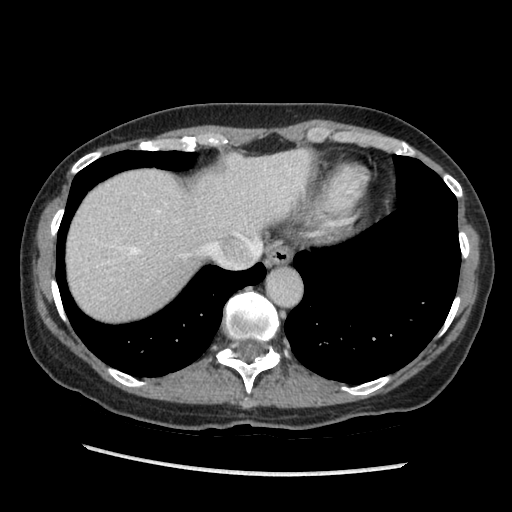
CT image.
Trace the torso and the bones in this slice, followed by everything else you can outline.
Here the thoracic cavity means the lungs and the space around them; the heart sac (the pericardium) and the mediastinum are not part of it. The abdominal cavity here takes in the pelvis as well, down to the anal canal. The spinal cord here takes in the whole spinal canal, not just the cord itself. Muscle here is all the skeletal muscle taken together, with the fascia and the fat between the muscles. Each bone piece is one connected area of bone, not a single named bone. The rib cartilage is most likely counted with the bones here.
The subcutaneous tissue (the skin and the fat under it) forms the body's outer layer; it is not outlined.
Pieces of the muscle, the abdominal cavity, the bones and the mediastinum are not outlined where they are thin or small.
{"torso":[[[207,102],[331,102],[378,109],[421,130],[462,169],[489,222],[495,271],[469,352],[435,398],[407,411],[355,417],[308,429],[249,424],[182,429],[111,412],[53,381],[34,360],[23,327],[19,250],[27,213],[42,184],[69,153],[106,130],[158,110]]],"bones":[{"outer":[[248,290],[263,295],[275,307],[280,321],[280,331],[272,341],[274,349],[280,354],[280,360],[275,366],[261,371],[255,377],[250,394],[246,393],[240,374],[235,369],[219,363],[215,355],[217,351],[229,344],[229,340],[220,329],[224,305],[234,294]],"hole":[[249,338],[251,339],[255,339],[258,341],[262,342],[264,344],[264,347],[265,348],[265,351],[262,354],[256,356],[251,362],[247,362],[241,359],[239,357],[239,353],[236,350],[236,348],[238,345],[238,342],[240,340],[244,340],[245,339],[248,339]]},[[316,126],[328,128],[333,131],[356,131],[366,134],[388,136],[399,140],[403,140],[415,151],[416,155],[415,157],[399,155],[371,146],[361,146],[355,143],[334,141],[330,137],[328,137],[324,141],[321,142],[311,142],[307,140],[306,132],[308,129]],[[207,132],[222,134],[228,140],[228,142],[226,144],[222,144],[217,146],[200,145],[194,151],[183,151],[176,149],[169,150],[138,150],[135,149],[138,143],[142,140],[147,140],[153,138],[165,138],[166,137],[179,138],[185,135],[196,136],[199,134]],[[388,374],[390,374],[391,375],[391,378],[387,383],[383,386],[367,394],[363,394],[362,395],[353,395],[346,391],[344,391],[340,389],[340,387],[343,385],[346,385],[347,386],[358,385],[362,383],[365,383],[369,381],[375,380],[380,377],[385,376]],[[108,366],[110,366],[113,368],[115,368],[124,373],[126,373],[140,380],[142,380],[145,382],[145,384],[141,386],[139,386],[138,387],[133,387],[132,386],[127,386],[121,383],[119,381],[116,380],[111,375],[109,374],[109,373],[107,371],[107,367]],[[96,150],[100,150],[102,152],[102,155],[100,157],[91,162],[88,165],[87,165],[85,167],[81,169],[77,173],[73,174],[70,172],[70,169],[71,167],[73,165],[73,164],[79,158],[80,158],[82,156],[83,156],[85,154],[89,152],[95,151]],[[457,294],[459,295],[460,297],[460,302],[459,303],[459,305],[458,306],[458,308],[457,309],[457,311],[455,314],[454,318],[442,336],[439,338],[434,338],[434,336],[438,332],[442,326],[448,314],[448,312],[451,307],[452,302],[455,296]],[[52,278],[54,278],[56,280],[57,286],[59,290],[59,294],[61,298],[61,302],[62,303],[65,314],[69,322],[68,323],[66,323],[62,320],[58,313],[57,308],[55,305],[53,295],[52,294],[52,291],[51,290],[51,283],[50,282]],[[446,172],[447,173],[449,173],[452,176],[453,176],[459,182],[459,183],[461,186],[461,188],[462,189],[462,196],[461,197],[460,197],[459,198],[457,198],[451,191],[451,190],[448,187],[448,186],[443,180],[443,179],[442,178],[442,175]],[[461,229],[463,230],[466,233],[466,235],[468,238],[468,241],[469,242],[469,252],[466,258],[464,259],[462,259],[461,258],[461,252],[460,251],[460,247],[459,246],[459,239],[458,238],[458,232],[459,230]],[[62,206],[64,206],[64,211],[62,215],[62,218],[61,219],[61,221],[60,222],[60,224],[59,225],[59,227],[58,228],[56,236],[54,237],[52,236],[51,234],[51,228],[50,227],[50,223],[51,222],[51,220],[54,213],[60,207]]],"abdominal_cavity":[[[272,134],[291,142],[313,143],[321,151],[319,180],[303,209],[285,231],[273,236],[260,260],[240,270],[204,265],[171,302],[138,321],[102,323],[76,305],[66,281],[65,242],[78,206],[94,186],[136,168],[189,173],[215,156],[214,147],[240,146]],[[393,196],[393,208],[394,209],[395,208],[396,208],[388,215],[383,217],[377,222],[376,222],[375,221],[375,220],[378,217],[379,217],[380,216],[380,215],[384,211],[384,210],[386,208],[386,207],[388,205],[388,204],[392,199],[392,197]]],"pericardium":[[[326,148],[352,148],[371,153],[388,168],[391,174],[392,191],[391,199],[379,216],[371,223],[356,232],[355,235],[351,238],[332,246],[318,247],[304,243],[288,229],[292,225],[296,217],[304,209],[304,206],[312,198],[317,189],[320,180],[321,153]]],"muscle":[[[71,164],[69,172],[75,175],[65,205],[49,223],[50,234],[56,237],[55,278],[49,282],[53,302],[61,320],[108,365],[108,374],[127,387],[141,387],[146,382],[138,378],[175,372],[209,348],[216,350],[218,345],[212,342],[220,330],[228,344],[216,351],[216,361],[239,374],[247,395],[256,377],[280,362],[281,354],[273,344],[279,334],[287,359],[292,354],[312,372],[350,385],[343,384],[340,390],[362,396],[383,387],[433,338],[443,336],[458,311],[461,259],[470,252],[467,233],[458,229],[462,186],[480,238],[476,299],[460,334],[436,358],[398,386],[365,399],[319,407],[243,409],[129,393],[105,380],[62,343],[36,309],[32,246],[41,213]],[[312,119],[325,119],[357,125],[387,135],[356,130],[333,130],[328,127],[316,125],[306,130],[305,138],[307,141],[305,142],[291,141],[272,133],[244,144],[232,145],[228,144],[228,138],[222,133],[207,131],[196,135],[185,134],[179,137],[166,136],[142,139],[137,143],[134,149],[123,149],[105,155],[103,155],[100,149],[96,149],[105,145],[141,137],[151,137],[178,128],[204,124],[243,128],[271,128],[288,126]],[[411,146],[414,147],[416,149],[419,150],[421,152],[431,158],[434,161],[442,166],[448,172],[449,172],[447,172],[446,171],[444,172],[441,175],[441,176],[439,175],[433,169],[426,165],[422,161],[421,161],[416,157],[417,155],[416,151]]],"mediastinum":[[[287,230],[304,244],[317,247],[302,250],[296,253],[293,258],[292,264],[303,282],[303,296],[299,303],[287,314],[282,325],[282,336],[278,311],[263,294],[253,289],[236,292],[248,286],[254,286],[264,279],[266,268],[259,261],[270,247],[274,236]],[[322,142],[355,144],[361,147],[371,147],[383,150],[392,154],[392,161],[395,174],[394,204],[395,205],[396,203],[397,206],[394,208],[394,196],[392,196],[392,174],[389,168],[374,154],[369,151],[352,147],[326,147],[321,150],[317,148],[314,143]],[[205,146],[213,147],[215,149],[216,152],[214,156],[213,156],[210,159],[204,162],[202,162],[193,170],[189,172],[182,171],[184,170],[187,170],[191,168],[194,165],[196,161],[196,159],[198,156],[198,153],[196,150],[199,148],[201,148]]],"thoracic_cavity":[[[393,154],[422,162],[441,177],[456,198],[460,252],[457,285],[441,326],[413,359],[391,373],[351,385],[312,371],[291,351],[290,343],[284,336],[283,325],[288,314],[304,296],[304,282],[293,261],[296,254],[302,251],[332,247],[351,239],[398,207]],[[123,150],[197,156],[183,170],[120,171],[82,198],[63,261],[69,293],[86,316],[107,325],[138,322],[171,303],[204,266],[265,268],[261,281],[227,299],[209,347],[159,376],[136,377],[93,353],[71,325],[56,279],[57,234],[74,177]]],"spinal_cord":[[[249,338],[251,339],[255,339],[258,341],[262,342],[264,344],[264,347],[265,348],[265,351],[262,354],[256,356],[251,362],[247,362],[241,359],[239,357],[239,353],[236,350],[236,348],[238,345],[238,342],[240,340],[244,340],[245,339],[248,339]]]}